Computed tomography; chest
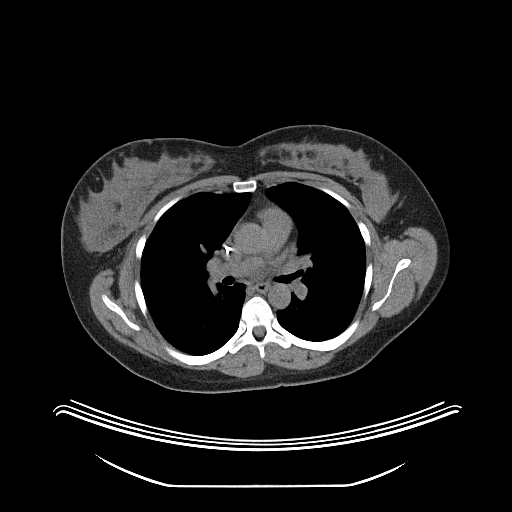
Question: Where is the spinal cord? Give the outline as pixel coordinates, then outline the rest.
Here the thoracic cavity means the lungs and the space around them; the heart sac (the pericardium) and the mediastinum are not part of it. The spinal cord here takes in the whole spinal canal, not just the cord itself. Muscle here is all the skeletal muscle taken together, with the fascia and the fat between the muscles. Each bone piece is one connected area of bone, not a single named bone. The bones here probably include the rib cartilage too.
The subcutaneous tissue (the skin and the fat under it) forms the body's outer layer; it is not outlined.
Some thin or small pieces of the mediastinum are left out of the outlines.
Answer: {"spinal_cord":[[[256,326],[263,326],[264,327],[264,328],[265,329],[265,333],[263,335],[263,336],[260,339],[257,339],[255,337],[255,336],[254,335],[254,334],[253,333],[253,328],[254,327],[255,327]]],"bones":[{"outer":[[255,295],[266,300],[284,329],[304,340],[331,339],[355,319],[359,323],[342,344],[331,350],[294,344],[285,348],[272,341],[264,346],[263,358],[256,346],[246,344],[208,363],[189,365],[172,357],[164,344],[189,355],[215,351],[235,333],[244,302]],"hole":[[256,326],[263,326],[264,327],[264,328],[265,329],[265,333],[263,335],[263,336],[260,339],[257,339],[255,337],[255,336],[254,335],[254,334],[253,333],[253,328],[254,327],[255,327]]},[[402,258],[409,258],[410,259],[409,264],[406,267],[401,269],[396,274],[392,284],[391,291],[389,295],[382,303],[382,304],[377,309],[372,310],[371,308],[373,304],[381,299],[386,293],[390,280],[391,279],[391,277],[394,272],[395,267],[398,261]],[[102,294],[105,294],[111,300],[112,300],[116,304],[117,304],[122,309],[128,319],[133,323],[139,326],[140,327],[140,329],[139,330],[135,330],[133,329],[131,327],[130,327],[117,313],[108,308],[102,300],[102,298],[101,297],[101,295]],[[250,179],[254,179],[257,182],[257,187],[256,188],[256,189],[254,191],[252,191],[251,192],[236,192],[235,191],[233,191],[232,190],[232,184],[233,183],[233,182],[234,181],[241,181],[242,180],[249,180]],[[135,279],[138,279],[139,281],[139,283],[142,290],[143,297],[144,298],[144,300],[147,307],[147,310],[148,312],[147,313],[147,316],[146,317],[145,317],[143,315],[139,307],[139,305],[138,304],[138,302],[135,295],[135,290],[134,289],[134,281]],[[370,262],[372,265],[372,276],[371,277],[371,284],[370,285],[370,287],[369,288],[369,291],[368,292],[366,297],[365,297],[364,298],[363,297],[363,289],[364,288],[364,282],[365,281],[365,274],[366,273],[366,266],[367,265],[367,264]],[[179,195],[181,195],[182,196],[182,198],[178,201],[177,201],[169,208],[168,208],[160,216],[160,217],[157,220],[157,221],[154,225],[153,223],[153,220],[154,219],[155,215],[158,212],[158,211],[167,202],[168,202],[174,197],[178,196]],[[359,220],[360,221],[362,221],[365,224],[365,225],[368,229],[368,231],[369,232],[369,236],[370,237],[370,245],[368,246],[366,246],[365,245],[365,243],[364,242],[363,237],[357,225],[357,223],[356,222]],[[318,187],[325,187],[335,192],[337,194],[341,196],[344,199],[345,199],[350,204],[351,206],[350,208],[348,209],[341,202],[340,202],[337,199],[336,199],[331,195],[328,194],[326,192],[317,188]],[[142,234],[145,234],[146,235],[147,238],[146,239],[146,241],[145,242],[144,247],[142,250],[142,253],[141,254],[141,258],[140,259],[140,260],[136,257],[136,254],[135,253],[135,249],[136,248],[136,244],[137,243],[137,241],[140,237],[140,236]]],"thoracic_cavity":[[[231,191],[250,193],[245,210],[231,228],[219,250],[225,275],[230,276],[234,283],[244,285],[245,297],[238,325],[234,333],[215,350],[199,355],[189,354],[174,347],[162,335],[148,310],[140,283],[143,250],[158,220],[177,202],[199,192],[224,194]],[[283,182],[311,186],[341,203],[355,221],[365,246],[362,295],[352,321],[331,338],[317,341],[301,338],[284,328],[276,315],[278,310],[285,309],[290,304],[296,282],[294,279],[286,281],[282,278],[299,267],[298,229],[292,217],[266,194],[269,187]]],"mediastinum":[[[297,229],[298,267],[281,278],[286,282],[295,281],[289,304],[274,313],[267,300],[259,294],[245,300],[245,285],[234,282],[230,275],[227,276],[222,264],[220,250],[225,240],[228,236],[230,259],[240,271],[246,274],[274,273],[281,269],[296,251]],[[276,182],[278,183],[277,185],[275,185],[274,186],[272,186],[271,185],[265,190],[265,194],[270,200],[266,200],[265,201],[254,204],[247,208],[250,201],[250,196],[252,192],[254,192],[259,186],[263,186],[265,183],[267,184],[268,183],[271,184]]],"pericardium":[[[266,201],[271,201],[274,205],[281,208],[290,216],[293,221],[293,224],[296,228],[295,251],[291,258],[277,271],[267,273],[246,273],[240,270],[233,263],[231,259],[229,248],[229,236],[231,231],[235,229],[238,225],[238,222],[242,214],[248,208]]],"muscle":[{"outer":[[278,170],[314,173],[341,184],[359,200],[365,215],[383,240],[398,238],[410,226],[429,230],[437,242],[438,258],[430,280],[416,301],[378,323],[321,366],[296,370],[267,365],[262,373],[249,377],[162,363],[120,343],[108,333],[91,308],[89,286],[99,271],[106,268],[117,270],[125,247],[145,213],[164,196],[191,182],[217,175],[236,175],[241,180],[234,180],[231,188],[199,191],[183,198],[181,194],[174,196],[154,215],[149,235],[142,233],[136,241],[134,253],[140,261],[140,269],[139,280],[135,278],[133,281],[134,295],[142,315],[146,318],[149,313],[158,331],[171,345],[164,343],[163,349],[181,363],[200,366],[227,353],[234,354],[246,345],[256,347],[261,359],[266,354],[265,346],[272,342],[285,349],[294,345],[321,352],[342,345],[360,323],[358,317],[353,319],[362,296],[367,297],[372,284],[373,265],[370,261],[366,263],[366,247],[371,245],[369,229],[362,220],[354,219],[349,210],[352,206],[345,198],[325,186],[314,187],[297,181],[265,182],[258,186],[254,178],[247,179]],"holes":[[[402,258],[409,258],[410,259],[409,264],[406,267],[401,269],[396,274],[392,284],[391,291],[389,295],[382,303],[382,304],[377,309],[372,310],[371,308],[373,304],[381,299],[386,293],[390,280],[391,279],[391,277],[394,272],[395,267],[398,261]],[[102,294],[105,294],[111,300],[112,300],[116,304],[117,304],[122,309],[128,319],[133,323],[139,326],[140,327],[140,329],[139,330],[135,330],[133,329],[131,327],[130,327],[117,313],[108,308],[102,300],[102,298],[101,297],[101,295]]]}],"torso":[[[295,124],[326,124],[362,132],[385,144],[415,171],[437,204],[449,233],[450,264],[439,293],[422,315],[368,364],[342,377],[270,389],[195,393],[169,389],[134,374],[89,336],[67,292],[60,228],[74,185],[98,157],[128,141],[188,137],[238,145]]]}